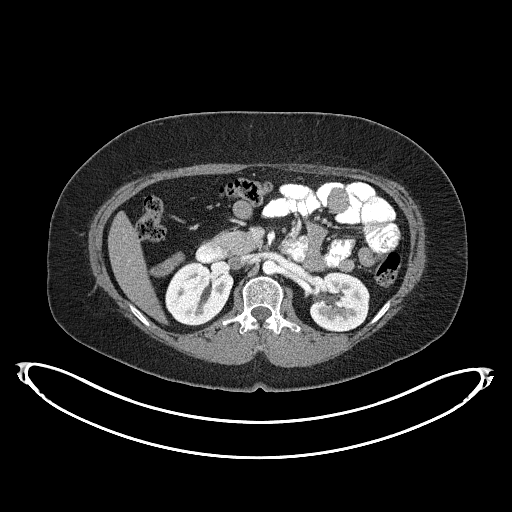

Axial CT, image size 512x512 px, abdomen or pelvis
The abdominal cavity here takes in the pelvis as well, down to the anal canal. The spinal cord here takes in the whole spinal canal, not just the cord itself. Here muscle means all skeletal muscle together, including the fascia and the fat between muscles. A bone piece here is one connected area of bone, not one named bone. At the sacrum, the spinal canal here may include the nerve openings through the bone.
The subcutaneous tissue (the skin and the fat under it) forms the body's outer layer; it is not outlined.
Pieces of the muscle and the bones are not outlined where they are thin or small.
The torso is outlined by 240,392 258,388 295,391 343,382 406,358 447,331 467,279 465,216 447,174 412,139 363,117 329,112 176,114 140,123 118,134 94,152 65,184 51,215 46,255 46,295 56,323 78,342 143,372 192,386. The abdominal cavity is outlined by 176,332 200,329 223,315 231,308 234,288 258,275 290,286 298,317 313,327 329,332 357,329 402,282 409,250 405,217 393,199 369,181 268,167 186,176 145,187 108,219 103,234 104,259 118,291 148,319. The bones appear in 3 outlined pieces: piece 1: 276,334 284,326 296,332 300,331 300,327 286,319 279,312 283,298 283,290 280,284 267,276 251,278 242,288 243,310 223,320 222,324 226,325 237,321 240,324 240,333 250,329 261,331 264,328 268,328 with a hole at 259,321 262,321 264,319 265,319 268,316 269,316 270,315 270,311 267,308 265,308 264,307 256,307 255,308 254,308 252,310 252,314 253,315 253,316 254,316; piece 2: 369,324 372,324 373,323 374,323 376,321 377,321 383,315 383,314 388,309 388,308 390,306 390,303 391,302 391,298 388,299 385,302 385,303 380,308 380,309 376,313 376,314 370,320 370,321 369,322; piece 3: 147,326 150,326 150,323 149,322 149,321 147,319 147,318 137,308 136,308 135,307 135,306 134,306 133,305 133,304 132,304 131,303 128,302 128,305 129,306 129,308 130,309 130,310 145,325 146,325. The spinal cord is outlined by 259,321 262,321 264,319 265,319 268,316 269,316 270,315 270,311 267,308 265,308 264,307 256,307 255,308 254,308 252,310 252,314 253,315 253,316 254,316. The muscle is outlined by 281,367 305,367 306,366 311,366 314,364 321,363 332,359 342,354 347,350 349,350 357,343 370,336 382,327 403,307 404,305 403,301 405,297 412,291 420,280 424,272 424,269 427,261 426,250 425,249 425,244 426,243 425,237 426,236 425,235 424,222 419,209 419,206 414,201 409,192 404,186 394,180 386,178 381,175 378,175 360,168 333,166 332,165 325,165 317,163 253,162 252,163 202,163 201,164 195,164 184,167 164,169 149,173 134,180 126,182 116,189 99,207 94,215 93,219 91,221 89,226 87,245 88,246 89,264 92,274 95,278 95,282 98,286 101,287 114,300 115,303 118,306 118,310 124,316 128,318 133,324 137,326 152,338 166,345 168,345 188,356 191,356 194,358 197,358 208,362 213,362 214,363 219,363 226,365 239,365 250,361 260,352 271,363 274,365 277,365, around a hole outlined by 276,334 284,326 300,331 296,323 279,312 283,285 294,291 298,317 322,331 355,330 367,321 374,323 388,309 405,273 409,234 401,210 378,186 362,179 254,167 230,174 158,181 112,213 103,234 106,267 115,287 128,300 130,310 145,325 150,326 151,320 176,332 200,329 231,308 233,290 240,283 243,310 222,324 237,321 240,333 268,328.